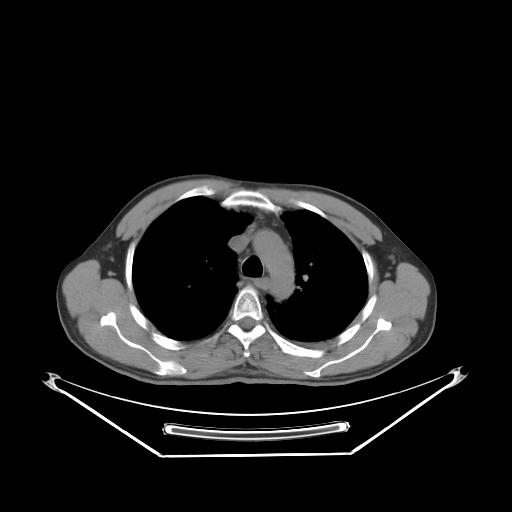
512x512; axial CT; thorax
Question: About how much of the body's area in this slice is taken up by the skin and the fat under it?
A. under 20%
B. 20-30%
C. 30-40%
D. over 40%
Answer: A. under 20%
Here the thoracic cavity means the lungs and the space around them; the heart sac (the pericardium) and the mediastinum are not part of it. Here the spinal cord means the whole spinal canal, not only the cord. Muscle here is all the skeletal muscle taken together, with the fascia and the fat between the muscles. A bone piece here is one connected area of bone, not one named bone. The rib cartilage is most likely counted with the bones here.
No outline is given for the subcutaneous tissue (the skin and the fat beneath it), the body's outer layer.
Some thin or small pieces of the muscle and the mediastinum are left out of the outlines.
The bones appear in 11 outlined pieces: piece 1: (246, 286) (251, 286) (256, 290) (265, 316) (275, 331) (297, 345) (311, 349) (324, 349) (324, 354) (314, 358) (285, 353) (268, 332) (257, 337) (249, 345) (249, 355) (247, 357) (243, 355) (244, 348) (241, 342) (225, 330) (215, 340) (205, 341) (221, 330) (236, 295); inner edge: (244, 317) (250, 317) (251, 318) (252, 318) (255, 321) (255, 324) (254, 325) (254, 326) (253, 327) (252, 327) (250, 329) (248, 329) (247, 330) (245, 330) (244, 329) (243, 329) (239, 325) (239, 324) (238, 323) (238, 322) (242, 318) (243, 318); piece 2: (240, 189) (247, 189) (248, 190) (256, 190) (259, 191) (261, 193) (266, 195) (274, 204) (281, 206) (282, 207) (282, 210) (276, 213) (269, 210) (265, 210) (250, 205) (238, 205) (233, 208) (230, 208) (229, 209) (224, 208) (219, 204) (220, 201) (226, 198) (232, 192); piece 3: (110, 311) (115, 313) (116, 324) (123, 336) (141, 345) (160, 360) (172, 360) (180, 364) (186, 369) (186, 372) (177, 375) (159, 375) (154, 373) (153, 371) (157, 370) (159, 367) (155, 360) (145, 351) (125, 343) (119, 337) (113, 326) (102, 326) (100, 324) (100, 318); piece 4: (380, 317) (382, 317) (391, 322) (390, 329) (378, 331) (362, 350) (345, 360) (329, 364) (321, 370) (320, 375) (318, 377) (313, 377) (310, 375) (305, 374) (303, 372) (304, 371) (311, 371) (316, 369) (326, 362) (338, 359) (358, 348) (364, 343) (376, 328) (377, 320); piece 5: (373, 294) (375, 294) (376, 295) (376, 301) (370, 314) (365, 319) (365, 320) (360, 324) (360, 327) (359, 329) (350, 339) (339, 345) (337, 345) (337, 339) (336, 338) (336, 336) (349, 326) (358, 322) (361, 319) (361, 317) (358, 315) (358, 314) (366, 303) (368, 298); piece 6: (152, 331) (158, 331) (163, 335) (169, 338) (171, 338) (175, 340) (178, 340) (179, 341) (181, 341) (185, 345) (185, 347) (182, 349) (179, 349) (178, 350) (173, 350) (172, 349) (168, 349) (167, 348) (162, 347) (160, 345) (157, 344) (152, 339) (151, 337) (151, 332); piece 7: (133, 240) (136, 240) (137, 244) (136, 245) (136, 247) (134, 251) (134, 254) (133, 255) (133, 261) (132, 262) (132, 268) (131, 269) (131, 279) (132, 280) (133, 291) (130, 291) (127, 286) (126, 278) (125, 277) (125, 259) (126, 258) (127, 248) (130, 242); piece 8: (201, 185) (208, 185) (209, 186) (211, 186) (215, 188) (216, 192) (213, 195) (211, 195) (210, 196) (204, 196) (203, 195) (196, 195) (195, 196) (191, 196) (190, 197) (183, 198) (174, 203) (175, 199) (176, 199) (180, 195) (181, 195) (186, 191) (194, 187) (200, 186); piece 9: (130, 304) (133, 304) (135, 306) (136, 306) (141, 311) (141, 312) (148, 319) (148, 320) (150, 322) (150, 323) (148, 325) (148, 329) (145, 329) (144, 328) (143, 328) (135, 321) (135, 320) (133, 318) (133, 317) (131, 314) (131, 312) (129, 309) (129, 305); piece 10: (362, 249) (365, 249) (369, 253) (372, 260) (372, 263) (373, 264) (373, 270) (374, 271) (373, 272) (373, 279) (370, 285) (368, 285) (368, 276) (367, 275) (367, 272) (366, 271) (365, 264) (364, 263) (364, 261) (361, 254) (361, 250); piece 11: (292, 200) (301, 200) (302, 201) (304, 201) (307, 203) (309, 203) (315, 206) (317, 208) (321, 210) (327, 216) (328, 219) (326, 218) (324, 218) (317, 213) (315, 212) (313, 212) (310, 210) (308, 210) (307, 209) (304, 209) (303, 208) (299, 208) (297, 207) (291, 201). The torso is outlined by (190, 173) (309, 183) (337, 190) (368, 207) (433, 274) (437, 290) (437, 310) (434, 330) (428, 342) (418, 352) (377, 376) (331, 386) (242, 382) (220, 385) (158, 385) (118, 373) (84, 354) (67, 338) (58, 317) (55, 291) (61, 270) (85, 250) (138, 192) (161, 179). The thoracic cavity appears in 2 outlined pieces: piece 1: (196, 196) (216, 200) (222, 208) (238, 214) (247, 214) (251, 220) (226, 243) (235, 254) (235, 273) (237, 276) (235, 282) (237, 291) (227, 317) (209, 335) (196, 339) (179, 340) (159, 331) (140, 309) (134, 291) (132, 269) (137, 245) (148, 227) (173, 204); piece 2: (297, 209) (315, 213) (341, 231) (360, 253) (367, 276) (367, 299) (357, 315) (350, 325) (334, 337) (322, 342) (317, 348) (297, 344) (280, 334) (271, 326) (265, 313) (268, 297) (276, 304) (284, 304) (290, 299) (296, 288) (294, 245) (282, 215) (284, 212) (292, 212). The muscle appears in 2 outlined pieces: piece 1: (370, 253) (381, 280) (394, 280) (400, 262) (418, 268) (430, 286) (425, 316) (410, 344) (394, 358) (322, 379) (283, 377) (250, 363) (212, 377) (161, 376) (183, 375) (187, 369) (123, 335) (112, 310) (99, 324) (113, 327) (125, 344) (158, 365) (152, 373) (119, 363) (88, 345) (62, 292) (65, 276) (80, 262) (95, 259) (108, 277) (120, 281) (124, 263) (126, 286) (139, 306) (130, 303) (130, 314) (143, 329) (154, 326) (157, 330) (150, 337) (162, 348) (182, 350) (182, 341) (204, 338) (222, 325) (204, 341) (215, 341) (225, 331) (240, 342) (246, 358) (250, 345) (268, 333) (283, 353) (317, 359) (326, 352) (318, 348) (322, 343) (335, 337) (337, 346) (347, 342) (371, 314) (377, 295) (368, 297) (375, 271); inner edge: (380, 317) (382, 317) (391, 322) (390, 329) (378, 331) (362, 350) (345, 360) (329, 364) (321, 370) (320, 375) (318, 377) (313, 377) (310, 375) (305, 374) (303, 372) (304, 371) (311, 371) (316, 369) (326, 362) (338, 359) (358, 348) (364, 343) (376, 328) (377, 320); piece 2: (200, 178) (225, 179) (245, 188) (276, 187) (331, 195) (364, 214) (380, 229) (382, 240) (368, 246) (367, 250) (362, 248) (360, 252) (321, 209) (309, 202) (292, 199) (290, 201) (298, 208) (285, 207) (274, 203) (259, 190) (247, 188) (234, 190) (219, 201) (210, 197) (217, 192) (215, 187) (201, 184) (186, 190) (175, 198) (173, 203) (147, 227) (138, 243) (136, 239) (129, 243) (128, 240) (117, 237) (115, 232) (120, 220) (134, 205) (162, 186). The mediastinum is outlined by (238, 206) (255, 207) (276, 214) (282, 211) (283, 207) (296, 209) (284, 211) (281, 215) (293, 245) (296, 271) (295, 288) (284, 303) (276, 303) (268, 296) (265, 311) (254, 287) (246, 285) (237, 290) (237, 257) (227, 243) (252, 220) (249, 214) (238, 213) (230, 209). The spinal cord is outlined by (244, 317) (250, 317) (251, 318) (252, 318) (255, 321) (255, 324) (254, 325) (254, 326) (253, 327) (252, 327) (250, 329) (248, 329) (247, 330) (245, 330) (244, 329) (243, 329) (239, 325) (239, 324) (238, 323) (238, 322) (242, 318) (243, 318).